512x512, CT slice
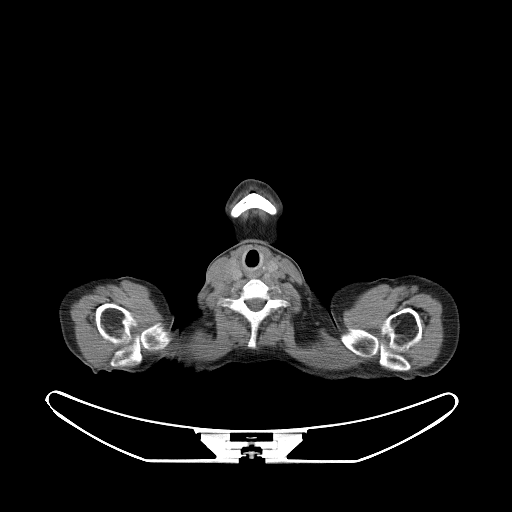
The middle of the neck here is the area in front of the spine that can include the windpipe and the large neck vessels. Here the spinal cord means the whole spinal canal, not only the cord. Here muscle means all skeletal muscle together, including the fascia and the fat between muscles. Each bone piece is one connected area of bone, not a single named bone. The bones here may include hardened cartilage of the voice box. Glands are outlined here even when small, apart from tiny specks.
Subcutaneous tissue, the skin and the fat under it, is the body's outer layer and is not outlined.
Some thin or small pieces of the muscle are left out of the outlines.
{"right_arm":[[[121,276],[133,276],[142,278],[157,286],[156,294],[151,308],[150,317],[147,326],[138,342],[138,346],[130,360],[119,370],[102,370],[98,373],[94,373],[87,365],[80,361],[68,349],[64,342],[58,316],[59,302],[64,292],[75,284],[97,277]]],"thyroid_glands":[[[234,256],[236,256],[235,258],[235,263],[236,264],[236,266],[237,268],[241,272],[241,276],[239,278],[239,279],[237,280],[235,279],[233,279],[231,275],[231,273],[229,269],[227,267],[228,265],[228,263]],[[269,259],[273,259],[277,263],[277,270],[273,274],[272,274],[270,276],[269,276],[268,277],[267,277],[266,276],[266,274],[267,273],[267,269],[268,268],[268,260]]],"middle_of_the_neck":[[[253,244],[267,258],[265,276],[270,277],[280,268],[284,271],[284,276],[281,279],[264,281],[260,278],[252,277],[245,282],[225,282],[216,278],[215,271],[220,266],[227,264],[226,267],[232,279],[239,280],[242,272],[237,266],[236,258],[244,249]]],"head_and_neck":[[[248,178],[270,185],[283,202],[279,239],[274,245],[296,261],[316,293],[316,309],[310,327],[292,360],[287,363],[227,364],[214,356],[199,336],[195,316],[198,314],[196,294],[204,283],[208,264],[234,243],[232,228],[224,215],[224,204],[235,186]]],"bones":[[[405,307],[411,307],[417,311],[421,319],[422,327],[421,339],[403,353],[410,364],[408,370],[394,371],[384,368],[378,364],[378,353],[372,356],[360,356],[348,349],[341,341],[340,334],[348,328],[365,330],[381,339],[380,326],[382,322],[392,313]],[[104,303],[114,303],[130,311],[137,321],[137,325],[133,329],[135,332],[140,333],[148,327],[162,322],[172,339],[164,348],[159,350],[148,350],[142,347],[140,351],[143,359],[137,365],[112,366],[110,361],[118,347],[101,336],[95,321],[95,310]],{"outer":[[252,278],[263,281],[270,288],[269,292],[274,298],[285,299],[289,303],[285,307],[281,306],[272,309],[261,321],[257,330],[256,345],[253,349],[249,348],[247,345],[251,334],[249,322],[240,313],[217,303],[219,298],[235,298],[239,294],[242,286]],"hole":[[254,298],[259,298],[260,299],[262,299],[265,301],[263,306],[260,309],[259,309],[258,310],[256,310],[255,311],[254,310],[252,310],[251,309],[250,309],[248,307],[248,306],[245,302],[245,301],[246,300],[249,300],[250,299],[253,299]]},[[251,192],[255,192],[263,196],[270,202],[271,202],[277,209],[277,213],[274,215],[272,215],[260,208],[258,208],[257,207],[252,207],[251,208],[246,209],[235,218],[231,217],[230,216],[230,211],[231,209],[244,196],[247,195]]],"spinal_cord":[[[254,298],[259,298],[260,299],[262,299],[265,301],[263,306],[260,309],[259,309],[258,310],[256,310],[255,311],[254,310],[252,310],[251,309],[250,309],[248,307],[248,306],[245,302],[245,301],[246,300],[249,300],[250,299],[253,299]]],"muscle":[[[256,243],[294,265],[319,313],[331,323],[360,293],[376,285],[403,283],[429,289],[443,308],[445,336],[440,353],[429,365],[409,370],[411,364],[404,353],[423,336],[421,316],[411,306],[392,312],[381,322],[381,338],[353,327],[339,334],[348,350],[365,358],[378,354],[377,364],[386,369],[360,364],[325,370],[278,348],[254,349],[262,321],[272,310],[290,304],[285,298],[274,297],[265,282],[281,280],[285,271]],[[238,246],[247,247],[220,265],[214,276],[220,282],[244,283],[235,297],[219,297],[216,303],[248,322],[247,349],[209,361],[175,356],[143,361],[141,349],[164,349],[173,339],[170,331],[158,321],[137,332],[130,310],[104,302],[95,308],[94,321],[100,336],[117,347],[110,366],[95,366],[83,355],[69,313],[72,302],[97,285],[129,280],[150,290],[172,330],[186,332],[199,321],[199,293],[208,283],[211,265]],[[252,208],[257,208],[258,209],[260,209],[272,216],[274,216],[275,215],[275,216],[271,220],[268,225],[266,224],[260,224],[258,222],[249,222],[248,221],[247,222],[244,222],[243,223],[239,223],[237,221],[236,218],[237,218],[246,210],[248,210]],[[250,185],[254,185],[259,188],[261,188],[267,191],[274,198],[274,199],[278,204],[278,209],[276,207],[276,206],[266,197],[255,191],[251,191],[247,194],[244,195],[230,209],[230,210],[229,209],[229,206],[233,199],[240,191]]],"torso":[[[359,280],[370,280],[371,302],[375,325],[384,343],[393,356],[406,369],[418,377],[410,380],[397,377],[382,379],[348,378],[327,380],[308,375],[288,364],[293,360],[311,327],[317,309],[317,294],[327,309],[329,307],[330,296],[334,290],[347,283]],[[158,287],[163,292],[174,314],[173,327],[182,327],[194,316],[199,340],[214,357],[226,364],[225,365],[210,372],[193,373],[189,369],[181,370],[173,361],[161,360],[151,369],[143,373],[128,373],[120,370],[131,360],[139,346],[139,342],[151,317]]],"left_arm":[[[406,274],[420,275],[434,280],[441,284],[453,296],[459,312],[460,333],[459,334],[459,341],[455,353],[449,362],[437,373],[426,377],[417,376],[406,368],[394,356],[389,347],[385,343],[376,325],[374,307],[372,302],[371,280],[378,278],[394,278]]]}